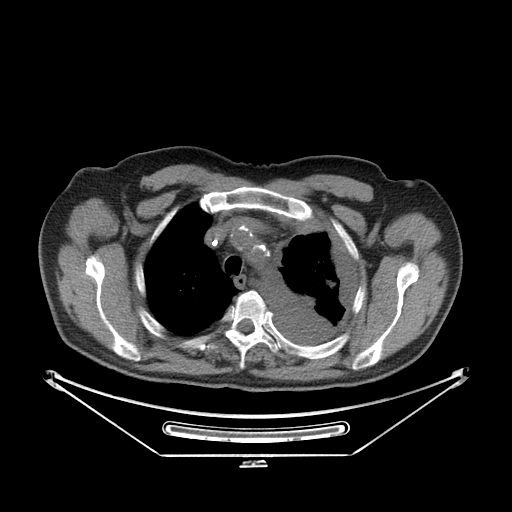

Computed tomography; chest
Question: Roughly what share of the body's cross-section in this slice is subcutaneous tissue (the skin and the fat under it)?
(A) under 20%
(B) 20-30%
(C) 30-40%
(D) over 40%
Answer: (B) 20-30%
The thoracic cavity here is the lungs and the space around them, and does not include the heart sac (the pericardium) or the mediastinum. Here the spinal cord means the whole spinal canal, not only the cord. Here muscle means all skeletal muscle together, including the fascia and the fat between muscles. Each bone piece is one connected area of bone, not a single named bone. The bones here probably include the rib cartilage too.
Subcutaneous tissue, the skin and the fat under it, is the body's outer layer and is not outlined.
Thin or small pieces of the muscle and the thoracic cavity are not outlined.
Outlined structures:
torso: [[174,145],[201,146],[254,164],[317,154],[350,155],[373,161],[389,178],[401,179],[404,229],[441,256],[463,264],[453,304],[427,350],[405,368],[358,386],[248,392],[135,378],[67,346],[46,301],[38,240],[84,213],[101,190],[106,167],[137,152]]
spinal cord: [[243,319],[249,319],[251,321],[251,322],[252,323],[252,325],[253,326],[253,329],[250,332],[248,332],[247,333],[244,333],[243,332],[242,332],[241,331],[240,331],[237,328],[237,326],[238,325],[238,324]]
left arm: [[412,178],[422,178],[430,182],[439,191],[448,203],[453,213],[459,230],[462,243],[462,250],[463,251],[463,263],[460,261],[441,255],[433,249],[431,249],[426,246],[422,242],[413,237],[403,226],[401,220],[401,184],[402,183],[402,179],[411,179]]
right arm: [[85,166],[101,166],[102,167],[105,167],[103,172],[102,180],[101,181],[101,187],[95,199],[83,213],[66,227],[63,228],[61,230],[59,230],[54,233],[49,234],[38,239],[39,232],[43,219],[50,205],[58,194],[68,183],[72,175],[77,170]]
mediastinum: [[236,208],[276,213],[307,222],[315,230],[295,235],[282,250],[282,265],[278,268],[282,279],[276,281],[267,290],[264,299],[255,289],[251,288],[239,293],[234,301],[234,296],[239,292],[238,289],[222,270],[214,251],[203,241],[211,224],[211,215]]
bones 1: [[251,289],[262,297],[273,314],[274,326],[288,340],[300,345],[314,346],[345,332],[349,333],[348,340],[336,352],[316,359],[290,354],[282,349],[273,352],[265,343],[258,342],[245,353],[244,368],[241,369],[240,353],[220,331],[218,321],[239,294]] with a hole at [[243,319],[249,319],[251,321],[251,322],[252,323],[252,325],[253,326],[253,329],[250,332],[248,332],[247,333],[244,333],[243,332],[242,332],[241,331],[240,331],[237,328],[237,326],[238,325],[238,324]]
bones 2: [[241,186],[260,186],[287,196],[300,199],[306,202],[311,207],[313,212],[313,218],[307,221],[301,221],[276,212],[271,212],[261,209],[240,207],[231,209],[223,209],[211,214],[205,212],[200,208],[198,204],[198,201],[203,194],[212,191],[227,191]]
bones 3: [[406,262],[412,262],[416,264],[419,269],[419,275],[417,280],[409,285],[404,291],[400,315],[382,343],[381,356],[379,360],[373,365],[354,370],[352,369],[351,364],[356,355],[370,346],[383,333],[395,316],[398,299],[396,285],[397,272],[398,269]]
bones 4: [[90,255],[97,256],[102,262],[105,270],[100,294],[100,302],[104,314],[117,332],[126,340],[135,344],[138,348],[141,354],[141,358],[138,361],[123,358],[115,353],[111,348],[113,335],[101,319],[97,308],[97,284],[95,280],[85,272],[85,261]]
bones 5: [[140,306],[141,306],[148,312],[149,312],[152,315],[152,316],[156,320],[157,320],[167,330],[165,332],[165,337],[164,338],[161,338],[160,337],[158,337],[156,336],[154,334],[151,333],[144,326],[138,314],[138,308]]
bones 6: [[208,333],[211,333],[212,334],[212,336],[209,341],[210,342],[214,342],[216,344],[216,347],[215,348],[213,348],[212,349],[199,350],[197,348],[192,348],[191,347],[182,348],[178,346],[178,344],[183,340],[189,339],[199,335],[207,334]]
bones 7: [[331,218],[333,218],[337,220],[344,227],[346,231],[349,234],[349,235],[353,240],[358,251],[358,254],[359,255],[359,258],[358,260],[355,260],[348,252],[342,240],[339,237],[339,236],[337,234],[337,232],[332,225],[332,223],[331,222]]
bones 8: [[176,205],[178,205],[179,206],[178,211],[174,215],[174,216],[170,220],[170,221],[167,224],[167,225],[164,228],[161,233],[157,237],[157,238],[150,247],[150,248],[149,247],[149,241],[155,228],[160,222],[160,221],[166,215],[166,214]]
bones 9: [[137,262],[140,262],[143,265],[143,273],[144,274],[144,280],[145,281],[145,289],[146,290],[146,296],[145,296],[144,297],[140,293],[140,292],[139,291],[139,290],[136,285],[136,282],[135,281],[135,277],[134,276],[134,271],[135,270],[135,264]]
bones 10: [[363,282],[365,283],[365,285],[366,286],[366,293],[365,294],[365,297],[362,302],[362,304],[361,305],[360,309],[358,311],[358,312],[356,314],[355,314],[352,311],[352,304],[353,303],[353,301],[354,300],[356,292],[358,289],[358,287],[359,285]]
muscle: [[180,163],[200,165],[257,184],[316,173],[351,177],[373,187],[373,199],[361,210],[367,225],[377,233],[403,213],[423,213],[442,233],[438,246],[450,269],[446,293],[434,319],[417,338],[379,361],[383,343],[401,315],[405,291],[420,275],[419,266],[406,261],[396,272],[392,320],[355,355],[350,364],[353,371],[348,375],[294,381],[256,377],[245,371],[190,375],[132,367],[126,360],[138,362],[142,354],[135,343],[118,332],[102,307],[106,274],[103,262],[90,254],[84,261],[84,272],[96,284],[96,308],[112,335],[112,352],[77,326],[64,310],[54,274],[57,250],[66,239],[64,225],[75,205],[99,197],[117,213],[126,211],[144,196],[139,188],[143,175]] with holes at [[241,186],[300,199],[312,209],[308,221],[314,229],[337,240],[333,218],[353,240],[357,286],[365,283],[366,293],[358,312],[340,327],[339,334],[348,332],[349,338],[336,352],[310,359],[258,342],[241,369],[238,349],[217,322],[195,335],[212,334],[216,347],[203,350],[178,346],[192,336],[167,330],[161,338],[142,323],[138,308],[150,307],[136,285],[135,264],[145,263],[157,225],[176,205],[179,211],[205,193]] and at [[363,252],[370,252],[371,253],[373,253],[374,254],[379,255],[377,259],[377,261],[369,277],[369,274],[368,273],[368,270],[367,269],[367,266],[366,265],[366,262],[365,261],[365,258],[364,257],[364,254]] and at [[130,235],[134,238],[135,238],[137,240],[140,241],[140,242],[134,250],[132,255],[130,257],[130,258],[128,261],[128,257],[127,256],[127,252],[126,251],[126,247],[125,246],[125,242],[127,240],[127,239]]
thoracic cavity 1: [[196,202],[202,211],[210,215],[210,224],[203,235],[202,241],[208,248],[213,251],[221,270],[231,280],[238,292],[233,296],[233,302],[228,305],[217,322],[193,336],[185,336],[168,330],[151,313],[147,298],[144,264],[151,247],[175,215],[181,209]]
thoracic cavity 2: [[315,229],[325,230],[333,240],[341,240],[357,270],[357,289],[351,312],[340,327],[339,334],[325,342],[311,345],[296,343],[278,330],[273,322],[274,314],[268,308],[265,298],[268,290],[283,279],[279,270],[283,265],[283,250],[295,236],[315,232]]